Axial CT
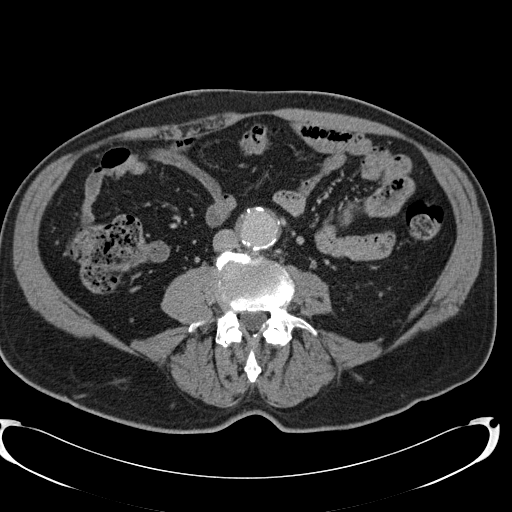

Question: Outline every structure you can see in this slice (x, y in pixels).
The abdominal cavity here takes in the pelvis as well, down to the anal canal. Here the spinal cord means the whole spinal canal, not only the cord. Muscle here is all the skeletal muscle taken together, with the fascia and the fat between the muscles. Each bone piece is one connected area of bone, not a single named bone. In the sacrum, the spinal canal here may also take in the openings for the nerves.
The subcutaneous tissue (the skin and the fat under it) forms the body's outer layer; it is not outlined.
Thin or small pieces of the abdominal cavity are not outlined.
Answer: The spinal cord is outlined by [[245,311],[246,311],[247,312],[264,312],[267,314],[267,318],[261,324],[260,327],[256,331],[250,331],[249,330],[248,330],[244,326],[242,326],[241,325],[241,324],[240,323],[240,321],[239,320],[239,316],[240,315],[240,314],[241,313],[242,313]]. The torso is outlined by [[206,88],[313,90],[350,96],[423,127],[465,160],[488,200],[497,252],[495,339],[475,376],[401,413],[346,430],[288,433],[253,414],[215,432],[167,433],[81,410],[39,391],[10,370],[0,357],[0,228],[22,180],[48,153],[83,130],[151,100]]. The muscle is outlined by [[280,108],[303,108],[318,111],[335,112],[379,122],[413,138],[430,150],[446,156],[452,160],[466,174],[475,190],[477,203],[482,218],[482,225],[483,226],[482,255],[478,274],[470,288],[463,304],[460,307],[460,310],[454,316],[428,331],[418,333],[412,339],[392,351],[342,371],[339,375],[336,376],[329,383],[323,386],[315,395],[308,397],[303,401],[291,407],[276,407],[270,405],[266,403],[256,391],[247,393],[236,405],[229,407],[218,407],[214,405],[207,404],[199,399],[192,397],[186,392],[182,391],[177,387],[174,380],[170,376],[170,373],[165,368],[159,367],[155,362],[148,359],[143,355],[135,355],[120,350],[95,337],[90,338],[75,337],[49,323],[37,311],[33,310],[30,307],[26,300],[24,293],[18,283],[13,269],[12,264],[13,232],[18,209],[26,190],[36,176],[47,165],[63,155],[77,151],[91,143],[110,135],[131,129],[148,126],[163,125],[170,123],[178,123],[224,111],[235,111],[241,113],[246,113],[262,110],[274,110]]; inner edges: [[261,115],[395,137],[429,164],[455,241],[399,335],[356,341],[316,325],[334,313],[329,286],[290,264],[286,308],[317,334],[295,327],[282,346],[215,341],[224,311],[214,265],[165,288],[160,308],[181,325],[129,343],[64,293],[39,230],[82,155]], then [[251,348],[253,348],[254,349],[255,357],[256,358],[257,363],[261,368],[261,371],[257,376],[256,380],[254,382],[250,382],[248,380],[247,374],[244,370],[244,366],[245,365],[245,363],[246,362],[246,360],[247,359],[249,351],[251,349]], then [[199,320],[205,320],[206,321],[205,322],[205,323],[203,325],[201,325],[200,326],[199,326],[194,331],[193,331],[192,332],[191,332],[190,333],[189,332],[188,332],[188,327],[189,326],[189,325],[192,322],[195,322],[196,321],[198,321]]. The bones appear in 3 outlined pieces: piece 1: [[225,251],[262,255],[284,266],[294,283],[294,293],[286,308],[312,325],[317,334],[295,327],[291,339],[282,346],[266,343],[262,338],[254,346],[245,337],[241,342],[232,342],[226,347],[217,343],[216,319],[224,311],[214,295],[218,272],[215,261]] with a hole at [[245,311],[246,311],[247,312],[264,312],[267,314],[267,318],[261,324],[260,327],[256,331],[250,331],[249,330],[248,330],[244,326],[242,326],[241,325],[241,324],[240,323],[240,321],[239,320],[239,316],[240,315],[240,314],[241,313],[242,313]]; piece 2: [[251,348],[253,348],[254,349],[255,357],[256,358],[257,363],[261,368],[261,371],[257,376],[256,380],[254,382],[250,382],[248,380],[247,374],[244,370],[244,366],[245,365],[245,363],[246,362],[246,360],[247,359],[249,351],[251,349]]; piece 3: [[199,320],[205,320],[206,321],[205,322],[205,323],[203,325],[201,325],[200,326],[199,326],[194,331],[193,331],[192,332],[191,332],[190,333],[189,332],[188,332],[188,327],[189,326],[189,325],[192,322],[195,322],[196,321],[198,321]]. The abdominal cavity is outlined by [[261,115],[395,137],[429,164],[451,205],[455,241],[399,335],[356,341],[316,325],[315,316],[334,313],[328,284],[248,251],[225,250],[214,265],[174,277],[160,308],[182,324],[129,343],[64,293],[40,255],[39,230],[82,155],[115,140],[187,139]].